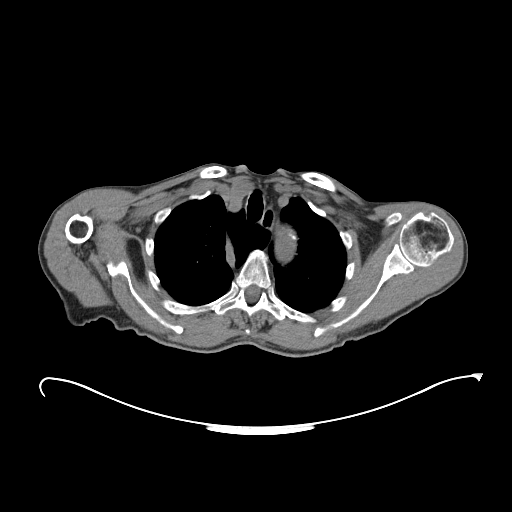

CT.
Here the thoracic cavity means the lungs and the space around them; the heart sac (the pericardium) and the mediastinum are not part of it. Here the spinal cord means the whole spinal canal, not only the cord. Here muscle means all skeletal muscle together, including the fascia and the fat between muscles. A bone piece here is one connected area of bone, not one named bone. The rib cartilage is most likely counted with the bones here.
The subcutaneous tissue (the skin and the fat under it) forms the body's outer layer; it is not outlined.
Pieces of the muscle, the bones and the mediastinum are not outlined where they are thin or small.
left arm: 414 200; 420 200; 421 201; 433 203; 444 208; 450 212; 456 218; 465 233; 467 242; 468 243; 468 263; 467 264; 467 267; 461 278; 456 283; 445 291; 443 291; 438 286; 435 285; 401 251; 400 232; 401 231; 402 216; 405 210
muscle: 227 168; 243 168; 256 178; 268 178; 281 172; 299 174; 304 181; 331 192; 336 190; 335 183; 369 207; 398 203; 435 207; 452 219; 461 234; 461 267; 446 284; 389 316; 339 335; 327 345; 306 350; 283 348; 269 341; 240 336; 209 347; 192 346; 142 328; 113 305; 85 307; 60 285; 43 254; 47 232; 63 205; 94 189; 137 192; 198 169; 202 179; 220 178; 228 173 with holes at 228 182; 284 185; 324 210; 338 231; 351 235; 346 260; 355 266; 337 294; 347 298; 340 309; 331 311; 329 304; 318 308; 309 313; 316 319; 312 323; 288 317; 278 320; 264 309; 250 317; 239 308; 223 314; 213 310; 175 314; 161 304; 162 299; 172 297; 160 284; 156 290; 146 273; 156 271; 154 257; 145 249; 145 238; 153 238; 158 229; 155 214; 175 208; 191 194; 212 193 and at 419 211; 426 215; 434 212; 447 222; 453 235; 451 249; 428 266; 415 265; 409 273; 393 275; 382 284; 372 300; 355 317; 315 337; 314 331; 317 326; 323 327; 344 318; 373 292; 381 277; 386 256; 394 244; 399 241; 402 225 and at 122 260; 127 266; 132 286; 135 291; 163 319; 172 324; 182 326; 183 330; 181 333; 176 333; 172 329; 165 327; 148 314; 132 295; 127 279; 122 274; 118 274; 114 277; 112 277; 109 274; 106 264; 109 261; 111 261; 115 265 and at 75 213; 78 213; 81 215; 88 215; 92 218; 92 220; 93 221; 93 231; 91 235; 89 237; 89 238; 85 241; 84 241; 82 243; 72 243; 70 242; 67 239; 65 235; 65 225; 66 224; 66 222; 68 220; 68 219; 73 214 and at 394 212; 399 212; 401 214; 401 219; 398 222; 396 222; 395 223; 394 223; 393 224; 392 224; 389 226; 385 226; 385 224; 384 223; 384 220; 385 219; 385 218; 387 216; 388 216; 390 214; 391 214
torso: 209 162; 244 164; 262 174; 278 168; 318 171; 370 201; 413 200; 401 216; 400 251; 444 292; 380 332; 306 357; 250 344; 199 353; 162 345; 131 329; 117 330; 104 318; 70 324; 61 301; 82 295; 101 271; 127 194; 123 185
right arm: 101 185; 122 185; 126 190; 126 194; 111 242; 110 249; 105 258; 100 271; 87 287; 85 291; 82 294; 76 297; 61 300; 57 292; 48 281; 40 267; 37 255; 37 244; 39 236; 48 217; 58 204; 68 197; 83 189
spinal cord: 251 285; 255 285; 258 288; 259 288; 260 289; 260 293; 259 294; 259 297; 258 298; 258 299; 254 303; 253 303; 252 304; 250 304; 249 303; 248 303; 247 302; 247 301; 245 298; 245 289; 247 287; 248 287
bones 1: 419 211; 426 215; 434 212; 447 222; 453 235; 451 249; 428 266; 415 265; 409 273; 393 275; 382 284; 372 300; 355 317; 315 337; 314 331; 317 326; 323 327; 344 318; 373 292; 381 277; 386 256; 394 244; 399 241; 402 225
bones 2: 255 249; 262 250; 268 257; 269 274; 276 295; 290 307; 314 317; 316 322; 301 322; 288 317; 278 320; 264 309; 250 317; 239 308; 229 309; 223 314; 213 310; 175 314; 161 304; 164 298; 193 306; 217 299; 229 290; 248 254 with a hole at 251 285; 255 285; 258 288; 259 288; 260 289; 260 293; 259 294; 259 297; 258 298; 258 299; 254 303; 253 303; 252 304; 250 304; 249 303; 248 303; 247 302; 247 301; 245 298; 245 289; 247 287; 248 287
bones 3: 122 260; 127 266; 132 286; 135 291; 163 319; 172 324; 182 326; 183 330; 181 333; 176 333; 172 329; 165 327; 148 314; 132 295; 127 279; 122 274; 118 274; 114 277; 112 277; 109 274; 106 264; 109 261; 111 261; 115 265
bones 4: 75 213; 78 213; 81 215; 88 215; 92 218; 92 220; 93 221; 93 231; 91 235; 89 237; 89 238; 85 241; 84 241; 82 243; 72 243; 70 242; 67 239; 65 235; 65 225; 66 224; 66 222; 68 220; 68 219; 73 214
bones 5: 309 171; 310 172; 316 172; 317 173; 322 174; 328 177; 333 182; 335 186; 335 190; 334 191; 331 191; 330 190; 325 189; 322 187; 320 187; 315 184; 313 184; 308 181; 306 181; 304 180; 300 176; 300 174; 303 172; 308 172
bones 6: 213 165; 218 165; 219 166; 223 166; 225 167; 227 170; 227 173; 225 175; 223 176; 221 176; 220 177; 211 177; 210 178; 202 178; 200 177; 199 174; 200 173; 200 171; 203 168; 205 167; 207 167; 208 166; 212 166
bones 7: 166 207; 171 207; 172 208; 172 209; 171 210; 171 211; 170 212; 170 213; 167 216; 167 217; 159 225; 157 225; 155 223; 155 222; 154 221; 154 216; 155 215; 155 214; 159 210; 160 210; 161 209; 162 209; 163 208; 165 208
bones 8: 343 295; 344 295; 345 296; 346 296; 346 297; 347 298; 346 299; 346 301; 345 302; 345 303; 343 305; 343 306; 340 309; 339 309; 337 311; 331 311; 330 310; 330 303; 332 301; 332 300; 333 300; 337 296; 342 296
bones 9: 148 269; 150 269; 151 270; 154 271; 155 272; 156 275; 158 277; 158 278; 159 279; 159 281; 160 282; 160 284; 159 285; 159 290; 156 290; 152 286; 152 285; 150 283; 150 282; 148 279; 147 274; 146 273; 146 271
bones 10: 340 230; 343 230; 344 231; 347 231; 351 235; 351 237; 352 238; 352 244; 351 245; 351 247; 348 250; 346 250; 346 248; 345 247; 345 246; 344 245; 344 244; 343 243; 343 242; 340 237; 340 235; 339 234; 339 231
bones 11: 394 212; 399 212; 401 214; 401 219; 398 222; 396 222; 395 223; 394 223; 393 224; 392 224; 389 226; 385 226; 385 224; 384 223; 384 220; 385 219; 385 218; 387 216; 388 216; 390 214; 391 214
bones 12: 146 237; 151 237; 152 238; 153 238; 153 256; 152 257; 151 256; 149 256; 147 254; 147 253; 146 252; 146 250; 145 249; 145 238
bones 13: 349 262; 354 262; 354 263; 355 264; 355 266; 354 267; 354 271; 353 272; 353 275; 352 276; 352 277; 350 279; 349 279; 348 280; 347 280; 346 279; 345 279; 345 270; 346 269; 346 266; 347 265; 347 264
bones 14: 307 201; 311 201; 317 207; 318 207; 319 208; 320 208; 321 209; 324 210; 324 211; 326 213; 326 217; 323 217; 322 216; 321 216; 320 215; 317 214; 315 212; 314 212; 311 209; 311 208; 307 203
bones 15: 207 190; 209 190; 210 191; 210 193; 207 196; 206 196; 205 197; 204 197; 203 198; 202 198; 201 199; 188 199; 188 198; 189 197; 189 196; 191 194; 202 194; 203 193; 204 193
mediastinum: 228 182; 277 183; 297 194; 289 198; 278 215; 279 220; 289 224; 299 238; 297 254; 287 265; 281 266; 275 259; 273 245; 269 243; 271 232; 268 229; 257 222; 246 220; 243 207; 235 212; 227 210; 223 198; 213 193; 220 185
thoracic cavity: 211 193; 227 211; 243 208; 246 221; 270 232; 281 267; 298 254; 300 238; 280 211; 300 196; 331 222; 345 248; 337 295; 309 313; 290 306; 275 291; 267 245; 247 254; 217 298; 195 305; 172 298; 155 268; 158 226; 180 204